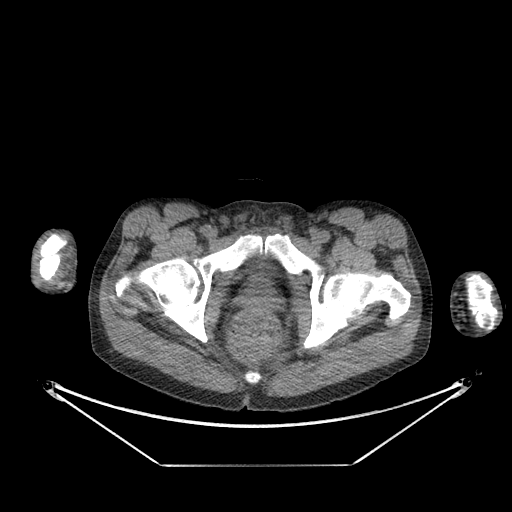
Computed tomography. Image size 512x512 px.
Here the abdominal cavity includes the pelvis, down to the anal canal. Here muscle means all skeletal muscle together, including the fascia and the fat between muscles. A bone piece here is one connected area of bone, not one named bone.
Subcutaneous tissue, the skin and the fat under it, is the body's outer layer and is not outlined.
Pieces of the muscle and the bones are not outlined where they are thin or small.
The torso is outlined by [[155,195],[192,197],[214,207],[253,199],[288,201],[311,210],[330,200],[363,198],[393,208],[409,222],[431,278],[432,327],[426,354],[393,377],[356,395],[290,412],[205,407],[173,398],[112,370],[91,348],[87,308],[91,272],[122,211],[136,200]]. The right arm is outlined by [[52,227],[66,227],[69,228],[75,235],[78,247],[78,265],[77,266],[77,278],[78,279],[77,280],[77,284],[71,291],[59,295],[49,295],[39,291],[30,282],[29,278],[30,258],[31,257],[32,247],[39,235],[46,229]]. The bones appear in 4 outlined pieces: piece 1: [[252,233],[287,234],[327,276],[387,272],[411,294],[409,309],[390,320],[389,305],[376,301],[324,345],[304,348],[312,277],[287,273],[272,255],[257,253],[213,273],[203,343],[163,314],[147,285],[133,282],[120,298],[115,283],[174,257],[190,263]]; piece 2: [[472,273],[478,273],[484,279],[491,284],[493,287],[490,295],[490,299],[491,300],[491,303],[496,308],[498,314],[495,319],[495,325],[491,330],[486,330],[479,327],[475,321],[474,316],[468,308],[467,288],[466,287],[465,279],[466,277],[469,276]]; piece 3: [[52,233],[56,233],[59,235],[63,236],[67,240],[67,243],[59,250],[58,252],[60,255],[60,262],[58,268],[55,274],[51,279],[47,281],[43,279],[40,276],[38,271],[38,261],[39,260],[39,253],[38,251],[40,245],[49,236],[49,235]]; piece 4: [[248,370],[253,370],[254,371],[257,371],[258,372],[259,372],[259,373],[261,375],[261,378],[259,380],[259,381],[258,382],[257,382],[256,383],[249,383],[248,382],[247,382],[244,379],[244,374]]. The abdominal cavity is outlined by [[257,254],[269,254],[285,270],[291,293],[289,298],[290,307],[285,322],[284,342],[279,351],[263,367],[255,366],[251,369],[242,369],[232,361],[220,345],[221,342],[216,338],[216,330],[222,309],[227,300],[226,295],[231,286],[234,271],[247,259]]. The left arm is outlined by [[471,269],[482,270],[489,275],[500,296],[503,305],[503,313],[504,314],[502,321],[497,329],[484,336],[475,338],[471,338],[462,335],[454,327],[451,321],[450,312],[449,311],[449,295],[450,294],[451,285],[453,281],[460,273],[466,270],[470,270]]. The muscle appears in 4 outlined pieces: piece 1: [[156,201],[191,204],[224,235],[264,225],[295,234],[321,212],[346,206],[394,216],[406,230],[421,289],[421,321],[412,351],[387,366],[290,397],[268,396],[256,387],[237,393],[201,389],[122,356],[112,350],[104,331],[98,290],[120,243],[123,220]] with a hole at [[252,233],[287,234],[327,276],[387,272],[411,294],[409,309],[390,320],[376,301],[324,345],[304,348],[312,277],[287,273],[284,342],[249,383],[216,338],[233,270],[212,275],[204,343],[163,314],[147,285],[133,282],[121,298],[114,286]]; piece 2: [[56,231],[64,231],[71,236],[73,251],[70,261],[71,268],[69,271],[70,274],[68,279],[69,283],[64,287],[66,283],[63,280],[58,280],[55,283],[58,289],[50,290],[40,286],[36,281],[34,273],[34,257],[37,247],[42,238],[48,233]] with a hole at [[52,233],[56,233],[59,235],[63,236],[67,240],[67,243],[59,250],[58,252],[60,255],[60,262],[58,268],[55,274],[51,279],[47,281],[43,279],[40,276],[38,271],[38,261],[39,260],[39,253],[38,251],[40,245],[49,236],[49,235]]; piece 3: [[469,273],[471,273],[466,276],[465,277],[464,279],[465,287],[466,288],[467,308],[473,316],[474,321],[477,326],[479,328],[485,330],[482,331],[475,331],[466,326],[464,323],[463,317],[460,310],[459,304],[461,299],[461,291],[463,288],[462,284],[464,281],[464,278],[465,276]]; piece 4: [[479,273],[483,273],[484,274],[485,274],[490,279],[490,280],[492,282],[492,283],[493,284],[493,286],[493,285],[491,283],[490,283],[485,278],[484,278]].